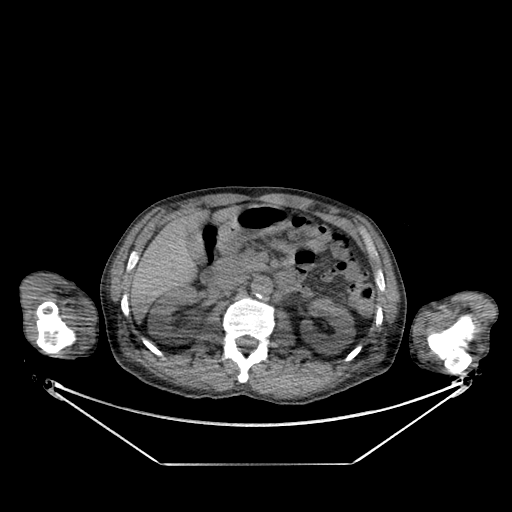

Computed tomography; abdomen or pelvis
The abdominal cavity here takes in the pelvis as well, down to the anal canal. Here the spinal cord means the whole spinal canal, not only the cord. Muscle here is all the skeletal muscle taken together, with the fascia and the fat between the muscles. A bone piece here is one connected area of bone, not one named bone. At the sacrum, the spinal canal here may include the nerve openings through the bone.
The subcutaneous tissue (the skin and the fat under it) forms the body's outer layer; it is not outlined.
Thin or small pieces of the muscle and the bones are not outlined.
The torso is outlined by 230 185; 284 186; 308 190; 347 203; 374 220; 394 253; 407 298; 401 343; 385 373; 325 399; 304 405; 277 405; 245 395; 223 399; 183 397; 141 382; 115 361; 107 340; 99 285; 104 265; 120 236; 145 207; 157 200; 190 190. The abdominal cavity is outlined by 242 201; 310 211; 356 241; 372 268; 377 304; 366 335; 343 358; 314 358; 294 334; 286 310; 275 309; 249 295; 231 303; 227 299; 218 301; 206 313; 191 347; 180 353; 163 352; 135 326; 128 300; 130 281; 153 233; 178 216. The muscle appears in 3 outlined pieces: piece 1: 220 193; 234 193; 253 197; 270 193; 296 195; 347 210; 360 215; 369 222; 381 239; 389 255; 400 299; 397 316; 391 326; 384 355; 381 360; 326 390; 312 393; 305 397; 283 399; 258 393; 249 387; 233 388; 223 391; 197 388; 190 389; 156 376; 138 362; 132 361; 124 355; 118 338; 118 323; 110 302; 109 287; 111 283; 110 269; 112 263; 126 237; 133 227; 147 213; 158 206, around holes outlined by 242 201; 310 211; 351 235; 374 275; 381 269; 382 323; 372 322; 351 360; 314 358; 278 307; 267 360; 240 383; 238 365; 221 359; 227 299; 206 313; 188 349; 163 359; 142 342; 120 306; 134 271; 126 271; 130 253; 178 216 and by 360 226; 363 226; 368 232; 368 233; 375 246; 375 248; 378 253; 378 255; 379 256; 379 259; 378 260; 377 260; 376 259; 374 259; 373 258; 370 257; 370 256; 366 249; 366 246; 364 243; 364 241; 359 232; 359 227; piece 2: 37 273; 48 273; 59 277; 88 300; 95 317; 93 342; 89 348; 76 353; 58 353; 71 346; 77 340; 77 335; 63 319; 58 305; 51 299; 42 301; 35 308; 37 335; 35 343; 29 337; 26 331; 21 287; 29 276; piece 3: 464 292; 482 294; 494 305; 496 313; 485 331; 485 349; 471 365; 469 346; 480 331; 480 324; 471 313; 461 314; 447 327; 431 331; 426 336; 430 351; 442 361; 447 370; 444 371; 422 361; 416 354; 414 329; 421 312; 427 306. The left arm is outlined by 467 288; 474 288; 487 292; 494 298; 499 308; 498 318; 490 330; 490 350; 488 355; 481 359; 479 365; 468 374; 458 378; 421 369; 412 361; 409 355; 408 347; 409 330; 416 311; 423 304; 431 300; 439 299. The spinal cord is outlined by 244 335; 248 335; 249 336; 250 336; 251 337; 252 337; 253 338; 254 338; 257 340; 257 344; 256 345; 256 347; 247 353; 241 351; 241 349; 237 345; 237 343; 236 342; 236 340; 239 337; 240 337; 241 336; 243 336. The right arm is outlined by 40 269; 48 269; 55 271; 68 279; 74 281; 93 300; 98 311; 99 317; 99 339; 97 347; 91 355; 77 359; 60 359; 43 356; 39 354; 25 339; 22 332; 22 314; 18 300; 18 285; 20 280; 26 274; 34 270. The bones appear in 10 outlined pieces: piece 1: 244 296; 255 298; 273 306; 275 325; 269 336; 270 343; 268 346; 267 360; 254 363; 248 369; 247 381; 240 383; 237 379; 239 373; 238 365; 230 358; 224 360; 221 359; 223 353; 223 338; 225 335; 222 325; 222 318; 227 307 with a hole at 244 335; 248 335; 249 336; 250 336; 251 337; 252 337; 253 338; 254 338; 257 340; 257 344; 256 345; 256 347; 247 353; 241 351; 241 349; 237 345; 237 343; 236 342; 236 340; 239 337; 240 337; 241 336; 243 336; piece 2: 467 313; 471 314; 478 322; 479 331; 475 334; 468 346; 468 352; 471 356; 470 364; 463 371; 463 373; 452 374; 448 372; 448 370; 444 366; 443 361; 431 351; 427 342; 427 336; 431 332; 434 331; 438 332; 447 328; 461 315; piece 3: 46 300; 51 300; 57 305; 59 310; 59 314; 62 319; 68 326; 74 330; 76 335; 76 340; 71 345; 62 348; 57 353; 46 353; 36 343; 36 339; 38 335; 38 332; 36 325; 37 318; 35 314; 35 310; 39 304; piece 4: 360 226; 363 226; 368 232; 368 233; 375 246; 375 248; 378 253; 378 255; 379 256; 379 259; 378 260; 377 260; 376 259; 374 259; 373 258; 370 257; 370 256; 366 249; 366 246; 364 243; 364 241; 359 232; 359 227; piece 5: 133 250; 136 250; 139 253; 139 258; 138 259; 138 260; 137 261; 137 262; 136 263; 135 266; 130 271; 127 272; 126 271; 126 264; 127 263; 127 261; 128 260; 128 258; 129 257; 129 255; 130 254; 130 253; piece 6: 142 337; 144 337; 145 338; 146 338; 149 341; 150 341; 158 349; 159 349; 163 353; 163 355; 165 357; 165 358; 164 359; 163 359; 161 357; 156 355; 153 352; 152 352; 147 347; 146 347; 145 346; 145 345; 142 342; piece 7: 379 268; 380 268; 381 269; 381 270; 382 271; 382 272; 383 273; 383 277; 384 278; 384 281; 385 282; 385 290; 384 291; 381 291; 378 288; 378 287; 377 286; 377 285; 376 284; 376 282; 375 281; 375 273; 376 272; 376 271; piece 8: 125 292; 126 292; 128 294; 128 297; 127 298; 127 300; 128 301; 128 306; 129 307; 129 315; 128 316; 125 316; 124 315; 124 314; 122 312; 122 311; 121 310; 121 307; 120 306; 120 301; 121 300; 121 299; 122 298; 122 295; piece 9: 359 344; 361 344; 362 345; 362 347; 361 348; 361 349; 360 350; 360 351; 351 360; 350 360; 349 361; 344 361; 344 358; 357 345; 358 345; piece 10: 377 305; 380 305; 380 306; 381 307; 381 309; 382 310; 382 313; 383 314; 383 319; 382 320; 382 323; 379 326; 376 326; 376 325; 375 324; 375 316; 376 315; 376 309; 377 308.